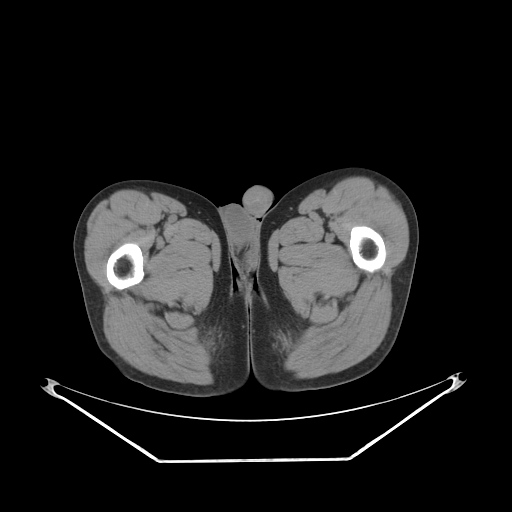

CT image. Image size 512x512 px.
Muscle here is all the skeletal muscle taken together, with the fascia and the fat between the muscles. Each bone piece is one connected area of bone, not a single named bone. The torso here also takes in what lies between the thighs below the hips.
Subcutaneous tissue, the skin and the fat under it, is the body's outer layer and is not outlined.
Outlined structures:
bones 1: 127,242 133,242 134,243 136,243 141,249 142,255 143,256 143,270 144,271 144,276 142,280 139,283 137,283 134,285 129,286 123,289 117,289 109,283 106,277 106,263 107,262 107,259 112,251 120,245
bones 2: 356,225 365,225 374,229 382,236 382,238 384,241 385,250 386,251 386,256 385,257 384,263 379,269 373,272 370,272 359,268 354,263 352,259 351,252 349,248 349,239 350,238 350,231 351,228 353,226
torso: 254,184 262,184 270,188 276,202 269,207 260,225 256,281 260,298 271,324 279,379 285,392 264,389 251,374 243,388 231,394 219,396 222,357 236,274 230,255 227,231 219,206 231,202 240,203 242,193
right leg: 126,179 153,179 176,184 205,196 218,206 226,231 233,274 231,305 224,336 220,369 220,391 218,396 207,398 182,396 161,392 133,382 118,371 96,344 85,310 75,266 73,234 79,215 91,197 105,186
left leg: 347,166 367,167 386,175 405,191 414,206 419,227 419,244 406,309 395,343 386,358 377,368 363,377 346,384 325,389 286,392 280,379 272,324 261,298 257,281 261,225 270,207 287,191 315,175
muscle 1: 356,175 369,177 393,191 402,206 408,223 408,250 392,277 390,324 380,345 360,362 341,371 317,377 302,379 288,377 282,368 282,363 295,334 297,323 295,314 268,265 268,239 276,221 291,205 315,189, around a hole outlined by 356,225 365,225 374,229 382,236 382,238 384,241 385,250 386,251 386,256 385,257 384,263 379,269 373,272 370,272 359,268 354,263 352,259 351,252 349,248 349,239 350,238 350,231 351,228 353,226
muscle 2: 135,187 166,194 190,206 209,219 218,234 221,260 211,298 202,318 202,333 215,367 215,377 212,384 182,383 149,375 126,363 106,340 103,331 102,295 99,287 89,275 84,260 86,223 94,206 111,192, around a hole outlined by 127,242 133,242 134,243 136,243 141,249 142,255 143,256 143,270 144,271 144,276 142,280 139,283 137,283 134,285 129,286 123,289 117,289 109,283 106,277 106,263 107,262 107,259 112,251 120,245